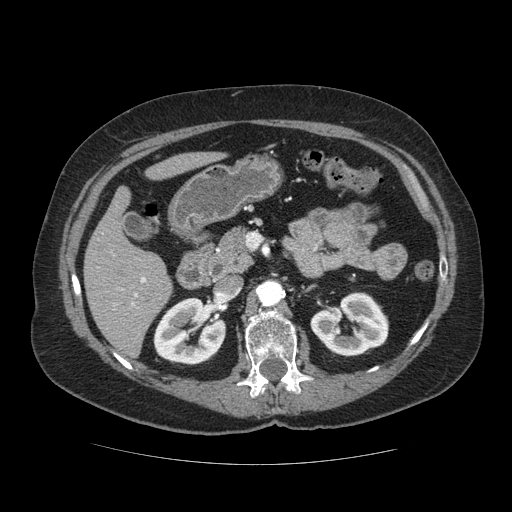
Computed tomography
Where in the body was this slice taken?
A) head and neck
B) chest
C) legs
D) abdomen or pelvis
D) abdomen or pelvis
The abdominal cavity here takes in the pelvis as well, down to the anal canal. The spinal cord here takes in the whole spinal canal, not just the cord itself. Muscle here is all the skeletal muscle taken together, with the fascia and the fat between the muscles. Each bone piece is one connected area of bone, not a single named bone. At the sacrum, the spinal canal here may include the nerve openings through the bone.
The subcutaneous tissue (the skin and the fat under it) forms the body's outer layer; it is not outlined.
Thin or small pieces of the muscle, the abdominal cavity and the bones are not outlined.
{"torso":[[[257,84],[313,84],[362,93],[401,109],[429,133],[477,222],[485,312],[475,359],[440,395],[373,421],[337,429],[292,430],[274,424],[245,434],[191,435],[138,424],[72,396],[44,374],[30,344],[33,254],[62,167],[93,131],[144,101],[188,90]]],"spinal_cord":[[[272,357],[273,357],[274,358],[278,358],[279,359],[280,359],[286,365],[286,371],[285,372],[285,373],[277,381],[271,381],[268,378],[267,378],[265,376],[264,376],[260,372],[260,365],[265,360],[266,360],[267,359],[268,359],[269,358],[271,358]]],"muscle":[{"outer":[[271,118],[308,120],[309,121],[318,121],[319,122],[326,122],[327,123],[333,123],[338,125],[342,125],[361,132],[369,137],[375,137],[388,141],[411,154],[423,166],[434,182],[453,222],[455,231],[456,246],[457,247],[457,251],[456,252],[457,254],[457,273],[455,278],[453,297],[447,309],[437,321],[437,324],[433,330],[434,336],[430,344],[390,381],[369,394],[367,394],[351,402],[331,409],[327,409],[322,411],[305,411],[300,415],[276,414],[261,419],[255,419],[253,417],[240,418],[216,412],[194,403],[180,399],[172,395],[140,385],[103,362],[98,354],[86,344],[85,340],[79,337],[75,333],[72,329],[69,319],[65,314],[65,310],[62,299],[62,293],[59,288],[60,282],[57,273],[58,257],[59,256],[59,249],[61,244],[65,221],[69,214],[70,209],[73,203],[78,196],[85,182],[102,165],[106,163],[109,163],[112,159],[126,148],[148,137],[153,136],[157,133],[162,133],[170,130],[178,129],[182,127],[197,125],[202,123],[208,123],[214,121],[220,121],[221,120],[270,119]],"holes":[[[245,123],[373,150],[432,226],[446,282],[437,277],[419,340],[378,369],[320,368],[298,325],[296,365],[313,379],[299,393],[251,397],[236,384],[251,367],[240,337],[229,373],[201,379],[134,361],[130,370],[92,331],[71,273],[105,186],[171,143]],[[404,163],[406,164],[414,173],[420,186],[422,188],[428,200],[428,202],[429,203],[429,206],[428,207],[428,209],[425,209],[421,205],[418,198],[415,195],[414,193],[414,190],[408,178],[408,176],[407,175],[407,172],[404,169],[403,167],[403,164]]]}],"abdominal_cavity":[[[245,123],[359,143],[387,159],[413,194],[436,235],[437,285],[428,315],[393,357],[366,369],[330,373],[310,360],[305,330],[275,308],[248,318],[235,364],[227,375],[212,379],[162,373],[130,362],[92,331],[75,263],[105,186],[126,166],[171,143]]],"bones":[{"outer":[[275,309],[295,324],[298,339],[296,365],[302,373],[312,376],[313,379],[301,381],[299,393],[282,386],[276,395],[268,388],[263,393],[251,397],[248,385],[236,384],[248,374],[251,367],[245,355],[244,329],[251,316],[257,315],[260,311],[268,312]],"hole":[[272,357],[273,357],[274,358],[278,358],[279,359],[280,359],[286,365],[286,371],[285,372],[285,373],[277,381],[271,381],[268,378],[267,378],[265,376],[264,376],[260,372],[260,365],[265,360],[266,360],[267,359],[268,359],[269,358],[271,358]]},[[404,163],[406,164],[414,173],[420,186],[422,188],[428,200],[428,202],[429,203],[429,206],[428,207],[428,209],[425,209],[421,205],[418,198],[415,195],[414,193],[414,190],[408,178],[408,176],[407,175],[407,172],[404,169],[403,167],[403,164]],[[440,253],[443,253],[445,255],[445,256],[446,257],[446,259],[447,260],[447,279],[446,280],[446,282],[443,282],[442,283],[440,281],[440,277],[439,276],[439,254]],[[427,317],[428,317],[429,318],[429,323],[428,324],[427,327],[425,329],[424,332],[420,337],[419,340],[416,343],[415,343],[408,347],[408,343],[409,342],[410,339],[412,337],[412,336],[414,334],[414,333],[422,325],[422,324],[424,322],[424,321]],[[72,272],[74,272],[76,274],[76,275],[79,280],[79,283],[80,284],[80,287],[81,288],[81,297],[82,298],[82,300],[81,301],[80,301],[79,300],[79,299],[74,295],[74,293],[73,292],[73,288],[72,287],[72,281],[71,280],[71,273]],[[112,349],[113,350],[114,350],[122,357],[125,358],[132,365],[132,366],[134,368],[134,369],[133,370],[130,370],[129,369],[128,369],[126,367],[125,367],[120,362],[119,362],[112,354],[112,353],[111,352],[111,350]]]}